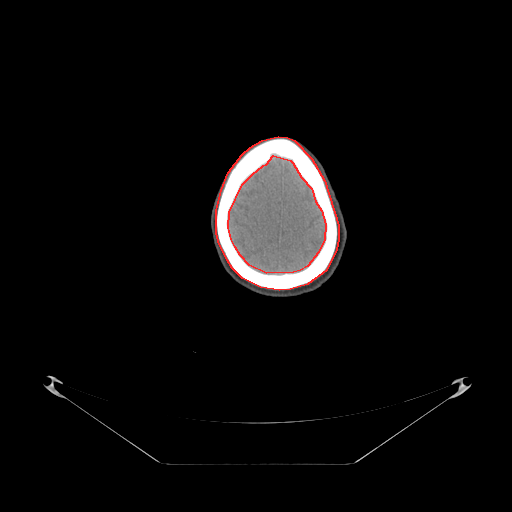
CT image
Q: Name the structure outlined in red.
A: red: bones.
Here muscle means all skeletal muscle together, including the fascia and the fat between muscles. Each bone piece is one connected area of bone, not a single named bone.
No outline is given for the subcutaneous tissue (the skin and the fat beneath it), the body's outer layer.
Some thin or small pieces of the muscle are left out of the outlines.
{"bones":[{"outer":[[278,136],[287,137],[294,140],[311,158],[324,180],[338,225],[338,239],[336,249],[326,270],[307,284],[290,289],[279,290],[260,287],[242,278],[232,268],[227,260],[218,241],[216,232],[216,210],[221,190],[228,172],[242,154],[250,147],[262,140]],"hole":[[273,155],[290,160],[292,162],[301,177],[311,188],[315,201],[321,210],[325,224],[324,239],[318,252],[307,266],[300,270],[293,272],[266,273],[249,265],[240,255],[235,247],[231,239],[228,227],[229,212],[242,184],[252,174],[263,165],[266,164]]}],"brain":[[[273,155],[290,160],[292,162],[301,177],[311,188],[315,201],[321,210],[325,224],[324,239],[318,252],[307,266],[300,270],[293,272],[266,273],[249,265],[240,255],[235,247],[231,239],[228,227],[229,212],[242,184],[252,174],[263,165],[266,164]]],"head":[[[272,135],[293,137],[305,144],[319,158],[340,201],[347,228],[347,241],[345,249],[341,261],[333,275],[318,289],[295,297],[277,298],[263,296],[249,291],[237,284],[223,269],[214,249],[210,233],[210,210],[214,195],[223,176],[250,144],[256,140]]],"muscle":[[[304,149],[305,149],[314,159],[314,160],[317,163],[323,173],[323,175],[331,191],[331,193],[332,194],[332,196],[333,197],[333,199],[334,200],[334,202],[337,209],[337,215],[338,216],[338,224],[338,221],[337,220],[336,213],[335,212],[335,210],[332,203],[332,200],[330,197],[330,195],[329,194],[329,192],[328,191],[328,189],[327,188],[325,180],[320,170],[318,168],[312,158]]]}